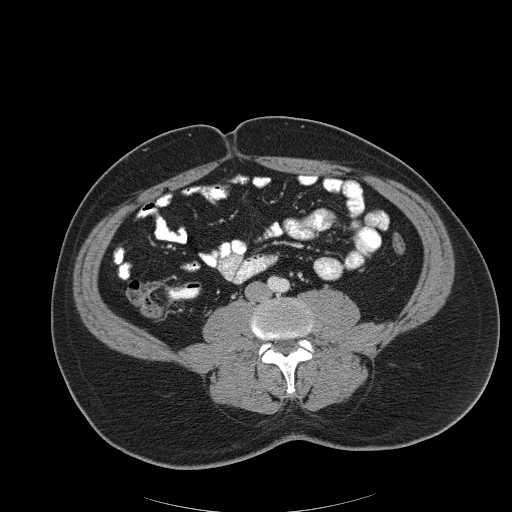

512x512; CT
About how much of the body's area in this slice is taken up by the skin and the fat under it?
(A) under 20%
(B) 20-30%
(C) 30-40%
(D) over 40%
Answer: (D) over 40%
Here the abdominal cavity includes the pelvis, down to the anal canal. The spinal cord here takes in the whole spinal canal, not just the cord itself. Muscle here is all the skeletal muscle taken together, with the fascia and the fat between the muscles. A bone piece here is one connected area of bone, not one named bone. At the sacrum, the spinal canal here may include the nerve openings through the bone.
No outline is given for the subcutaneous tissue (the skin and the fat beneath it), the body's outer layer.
bones: 276 297; 299 298; 312 314; 313 325; 311 331; 305 336; 313 347; 312 357; 300 361; 296 365; 295 391; 292 393; 286 391; 287 383; 280 368; 274 363; 261 361; 258 351; 263 341; 253 333; 250 327; 250 318; 254 308; 258 304 with a hole at 280 339; 295 339; 296 340; 296 344; 297 345; 297 347; 295 349; 294 349; 293 350; 292 350; 290 352; 289 352; 287 354; 284 354; 283 353; 282 353; 279 351; 277 351; 276 350; 275 350; 273 348; 273 341; 274 340; 279 340
spinal cord: 280 339; 295 339; 296 340; 296 344; 297 345; 297 347; 295 349; 294 349; 293 350; 292 350; 290 352; 289 352; 287 354; 284 354; 283 353; 282 353; 279 351; 277 351; 276 350; 275 350; 273 348; 273 341; 274 340; 279 340
abdominal cavity: 233 158; 280 172; 364 182; 395 205; 416 229; 423 249; 417 282; 396 319; 359 321; 357 304; 330 287; 268 298; 255 306; 240 298; 209 314; 201 327; 205 341; 175 351; 112 311; 100 294; 98 274; 121 223; 146 202
torso: 271 115; 316 120; 354 133; 401 159; 442 197; 478 246; 495 288; 500 330; 491 375; 463 417; 405 447; 356 451; 291 440; 204 469; 142 461; 96 433; 55 359; 50 301; 66 230; 100 175; 144 141; 193 124; 226 133; 244 120
muscle: 235 152; 328 160; 397 181; 427 200; 447 231; 455 261; 451 292; 431 319; 399 334; 376 356; 374 384; 351 414; 316 416; 290 401; 267 421; 240 423; 218 408; 196 372; 111 349; 80 318; 72 292; 73 268; 94 226; 143 190, around a hole outlined by 233 158; 364 182; 421 240; 417 282; 394 320; 359 321; 359 307; 338 289; 298 295; 312 314; 313 352; 296 365; 292 393; 280 368; 260 359; 250 302; 217 307; 201 327; 205 341; 175 351; 112 311; 99 291; 104 253; 131 213